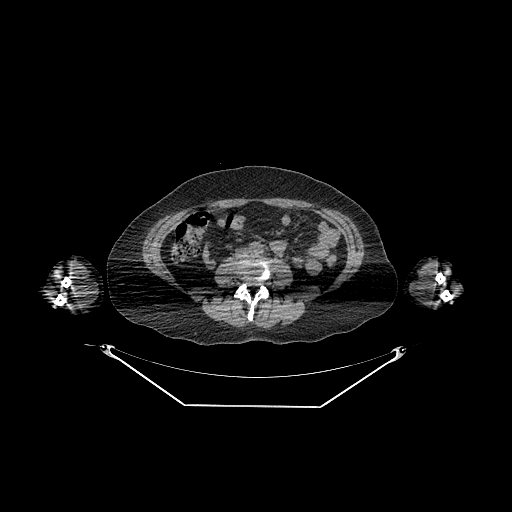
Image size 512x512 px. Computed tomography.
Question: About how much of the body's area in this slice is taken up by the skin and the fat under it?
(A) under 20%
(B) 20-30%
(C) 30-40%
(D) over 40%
Answer: (D) over 40%
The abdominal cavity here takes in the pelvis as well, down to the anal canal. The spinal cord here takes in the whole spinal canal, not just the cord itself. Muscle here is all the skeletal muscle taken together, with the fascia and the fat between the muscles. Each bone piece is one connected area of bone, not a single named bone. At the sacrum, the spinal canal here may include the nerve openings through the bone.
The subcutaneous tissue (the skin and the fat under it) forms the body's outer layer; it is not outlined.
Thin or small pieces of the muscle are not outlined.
The muscle appears in 3 outlined pieces: piece 1: 270 197; 300 199; 335 209; 351 218; 364 243; 365 256; 357 271; 332 292; 316 298; 306 312; 291 324; 277 328; 262 328; 254 325; 235 328; 217 324; 195 300; 151 272; 140 259; 142 243; 149 229; 159 219; 170 213; 209 200 with a hole at 248 203; 313 211; 341 232; 347 251; 344 267; 323 289; 294 283; 290 265; 270 258; 264 282; 269 296; 258 300; 252 321; 247 318; 249 304; 233 296; 241 282; 235 256; 217 266; 216 285; 185 289; 161 255; 166 236; 202 207; piece 2: 73 259; 76 259; 79 262; 86 266; 87 271; 97 282; 100 292; 99 296; 92 304; 84 308; 70 310; 66 308; 60 308; 57 306; 52 305; 46 298; 43 291; 43 288; 45 281; 49 276; 53 274; 56 270; 66 264; 70 260 with holes at 59 293; 61 293; 63 295; 63 296; 64 297; 66 297; 66 298; 67 299; 67 302; 65 304; 64 304; 61 306; 60 306; 59 305; 56 305; 56 302; 55 301; 54 301; 54 299; 55 298; 55 297; 56 297; 57 296; 57 295 and at 65 275; 68 275; 68 276; 69 277; 69 278; 71 280; 71 284; 69 286; 68 286; 67 287; 65 287; 64 286; 62 286; 61 285; 61 280; 62 279; 62 278; piece 3: 430 260; 435 260; 447 265; 450 268; 450 271; 461 284; 461 294; 455 298; 454 298; 455 295; 447 288; 445 288; 439 293; 438 295; 439 297; 444 302; 450 301; 440 308; 429 308; 416 301; 409 293; 409 284; 415 279; 422 266 with a hole at 439 272; 440 272; 444 276; 444 277; 445 278; 445 280; 444 281; 444 282; 445 283; 444 284; 443 283; 439 283; 438 282; 438 281; 435 278; 435 277; 436 276; 436 275; 437 274; 437 273; 438 273. The bones appear in 5 outlined pieces: piece 1: 252 253; 257 253; 269 259; 267 262; 270 269; 270 276; 264 282; 269 291; 269 296; 265 299; 258 300; 254 307; 253 320; 249 321; 247 318; 250 307; 249 304; 244 299; 236 298; 233 295; 241 282; 236 273; 238 260; 241 256 with a hole at 254 285; 255 285; 256 285; 257 286; 258 287; 258 288; 257 289; 257 290; 256 291; 255 292; 254 292; 253 293; 253 294; 252 293; 252 292; 251 291; 250 290; 250 289; 250 288; 249 287; 250 287; 251 286; 252 286; 253 286; piece 2: 445 289; 447 289; 453 295; 454 295; 454 296; 453 297; 453 298; 452 299; 451 299; 450 300; 448 300; 447 301; 444 301; 440 297; 440 296; 439 295; 440 294; 440 293; 441 292; 442 292; piece 3: 59 293; 61 293; 63 295; 63 296; 64 297; 66 297; 66 298; 67 299; 67 302; 65 304; 64 304; 61 306; 60 306; 59 305; 56 305; 56 302; 55 301; 54 301; 54 299; 55 298; 55 297; 56 297; 57 296; 57 295; piece 4: 65 275; 68 275; 68 276; 69 277; 69 278; 71 280; 71 284; 69 286; 68 286; 67 287; 65 287; 64 286; 62 286; 61 285; 61 280; 62 279; 62 278; piece 5: 439 272; 440 272; 444 276; 444 277; 445 278; 445 280; 444 281; 444 282; 445 283; 444 284; 443 283; 439 283; 438 282; 438 281; 435 278; 435 277; 436 276; 436 275; 437 274; 437 273; 438 273. The left arm is outlined by 430 254; 437 255; 439 257; 444 258; 449 261; 457 274; 457 276; 466 285; 465 292; 461 297; 458 298; 453 304; 446 306; 438 310; 430 310; 414 304; 405 297; 403 292; 403 285; 409 272; 421 258; 426 255; 429 255. The spinal cord is outlined by 254 285; 255 285; 256 285; 257 286; 258 287; 258 288; 257 289; 257 290; 256 291; 255 292; 254 292; 253 293; 253 294; 252 293; 252 292; 251 291; 250 290; 250 289; 250 288; 249 287; 250 287; 251 286; 252 286; 253 286. The abdominal cavity is outlined by 248 203; 307 209; 333 223; 346 242; 344 267; 327 287; 321 289; 317 285; 294 283; 293 272; 284 259; 266 258; 252 252; 239 259; 235 256; 224 258; 214 272; 216 285; 185 289; 162 259; 161 247; 166 236; 202 207; 224 209. The right arm is outlined by 72 254; 78 254; 86 258; 97 269; 102 277; 102 287; 103 288; 102 302; 98 307; 90 312; 84 314; 70 314; 66 313; 64 311; 58 310; 54 308; 51 304; 45 300; 40 292; 40 287; 44 279; 52 269; 53 266; 61 259. The torso is outlined by 247 165; 275 166; 309 175; 343 192; 371 216; 398 278; 394 302; 386 312; 354 330; 315 342; 275 344; 254 340; 239 344; 201 345; 164 336; 151 328; 131 322; 116 310; 109 297; 106 260; 114 242; 130 221; 145 208; 194 176.